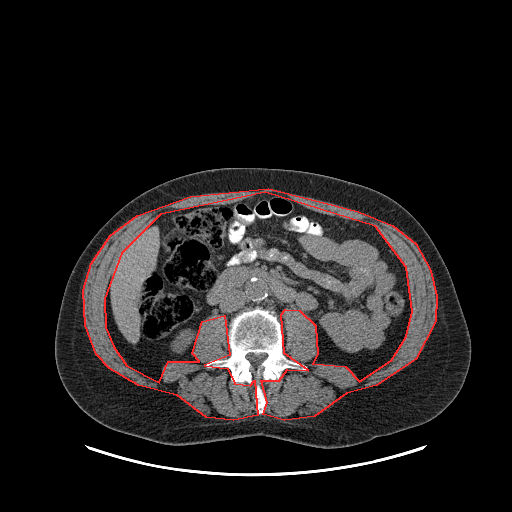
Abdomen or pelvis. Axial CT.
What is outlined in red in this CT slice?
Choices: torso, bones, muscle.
red: muscle.
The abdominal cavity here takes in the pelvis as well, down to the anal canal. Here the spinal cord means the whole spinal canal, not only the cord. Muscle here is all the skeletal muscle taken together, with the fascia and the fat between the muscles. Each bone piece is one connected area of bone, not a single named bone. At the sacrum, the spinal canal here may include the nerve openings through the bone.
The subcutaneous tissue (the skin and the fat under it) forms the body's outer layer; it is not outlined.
The muscle is outlined by 268,188 358,211 392,225 415,243 430,270 436,296 435,321 415,359 376,385 346,393 314,416 284,420 263,414 267,402 261,380 279,380 287,369 308,370 284,353 281,314 285,309 299,310 315,325 317,354 312,363 345,366 359,381 391,360 406,336 412,311 406,267 375,226 265,192 160,214 121,253 104,298 105,327 113,346 126,365 159,382 168,361 199,361 192,353 202,321 224,315 229,355 204,365 227,368 234,383 250,385 254,380 257,415 233,420 206,417 177,395 138,385 109,368 96,354 85,325 83,290 91,263 110,235 137,215 190,196. The torso is outlined by 232,167 300,170 361,184 392,198 421,224 449,271 471,340 471,359 464,383 441,413 421,425 341,448 319,448 263,435 168,445 106,427 73,401 58,374 54,342 67,280 87,244 119,209 148,189 193,172. The spinal cord is outlined by 249,353 254,353 255,354 258,354 259,353 265,353 267,355 266,356 266,357 262,361 262,362 259,365 258,365 256,367 254,367 252,365 252,364 249,361 249,360 246,357 246,355 247,354 248,354. The abdominal cavity is outlined by 265,193 365,221 398,255 411,311 390,360 361,380 345,365 312,362 312,319 285,308 281,323 257,305 229,323 221,313 204,318 191,353 198,361 168,360 160,381 126,364 108,334 105,298 129,243 171,210. The bones are outlined by 257,306 275,312 283,332 283,353 288,359 307,367 306,371 287,368 279,379 260,380 266,402 262,414 256,413 254,379 250,384 234,382 227,367 207,368 205,365 208,361 225,359 230,355 227,336 231,319; inner edge: 249,353 254,353 255,354 258,354 259,353 265,353 267,355 266,356 266,357 262,361 262,362 259,365 258,365 256,367 254,367 252,365 252,364 249,361 249,360 246,357 246,355 247,354 248,354.